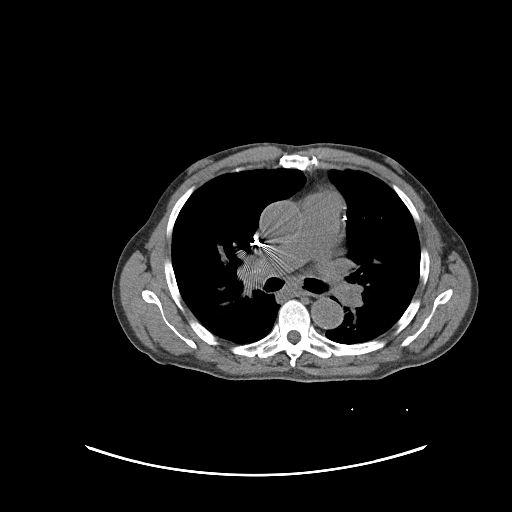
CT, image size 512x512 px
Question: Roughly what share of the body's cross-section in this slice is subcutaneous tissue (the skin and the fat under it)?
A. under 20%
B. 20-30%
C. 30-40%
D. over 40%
Answer: A. under 20%
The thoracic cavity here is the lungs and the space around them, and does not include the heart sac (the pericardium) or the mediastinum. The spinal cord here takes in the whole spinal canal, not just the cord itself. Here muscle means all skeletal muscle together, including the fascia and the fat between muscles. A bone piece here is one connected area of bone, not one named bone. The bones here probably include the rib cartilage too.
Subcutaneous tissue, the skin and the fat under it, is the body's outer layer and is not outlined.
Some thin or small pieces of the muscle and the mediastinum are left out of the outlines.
Outlines:
pericardium: 323 191; 334 191; 340 194; 346 203; 346 234; 348 243; 348 252; 347 254; 345 256; 337 257; 306 265; 303 267; 293 270; 292 272; 282 270; 270 259; 259 232; 259 220; 263 210; 269 204; 280 200
torso: 262 141; 295 145; 332 142; 371 148; 396 160; 424 185; 462 238; 478 281; 478 301; 472 320; 450 349; 425 364; 377 380; 300 382; 223 379; 160 364; 130 342; 116 317; 111 296; 123 248; 147 220; 166 187; 190 164; 220 150
mediastinum 1: 258 223; 258 232; 267 255; 282 271; 292 273; 306 266; 347 255; 347 261; 343 269; 343 278; 337 288; 344 313; 343 319; 337 327; 320 333; 312 324; 310 313; 303 303; 292 298; 280 305; 271 293; 264 290; 250 252; 250 240
mediastinum 2: 313 169; 326 169; 328 170; 327 172; 327 176; 329 180; 340 193; 334 190; 323 190; 322 191; 312 192; 311 193; 307 193; 306 194; 302 194; 296 196; 291 196; 297 192; 305 183; 306 178; 304 175; 303 171; 311 171
muscle: 262 145; 273 145; 286 152; 296 152; 300 150; 305 150; 309 148; 316 148; 317 147; 327 147; 328 148; 334 148; 352 152; 382 164; 403 179; 414 189; 423 201; 425 206; 431 213; 440 231; 444 242; 458 253; 467 266; 471 278; 471 296; 468 308; 457 328; 447 341; 436 350; 425 356; 386 363; 372 372; 366 374; 312 375; 311 374; 307 374; 300 370; 294 370; 293 369; 287 371; 271 371; 263 373; 231 374; 199 361; 183 357; 160 354; 146 346; 137 337; 127 319; 120 300; 119 280; 122 269; 125 263; 133 252; 151 234; 164 211; 171 196; 177 188; 188 177; 208 166; 211 163; 222 159; 231 154 with holes at 286 153; 314 155; 394 184; 418 213; 419 245; 429 255; 427 280; 416 286; 412 297; 420 305; 410 322; 397 334; 392 326; 376 338; 386 340; 381 348; 327 358; 304 350; 294 367; 283 350; 264 358; 239 355; 227 339; 218 337; 217 345; 201 339; 188 322; 195 317; 192 312; 183 300; 182 312; 171 296; 164 272; 165 259; 171 256; 166 228; 179 197; 236 167; 272 166 and at 449 288; 452 289; 452 294; 450 298; 445 303; 439 304; 436 307; 426 327; 406 346; 400 346; 400 344; 402 341; 407 336; 409 335; 412 335; 421 326; 426 317; 430 313; 432 309; 432 307; 433 306; 433 302; 435 298; 440 293 and at 144 289; 147 289; 152 291; 158 297; 161 303; 162 309; 166 319; 183 336; 191 339; 195 343; 196 345; 196 348; 193 348; 188 345; 165 323; 162 318; 160 310; 156 304; 154 303; 149 303; 143 299; 141 295; 141 292
spinal cord: 292 330; 294 330; 295 331; 297 331; 299 333; 299 334; 300 335; 300 338; 299 339; 299 340; 297 342; 295 342; 294 343; 293 343; 292 342; 291 342; 288 339; 288 338; 287 337; 287 335; 288 334; 288 333; 290 331; 291 331
bones 1: 292 299; 299 301; 307 309; 315 329; 334 342; 356 344; 384 339; 386 343; 367 353; 332 354; 327 358; 304 350; 295 360; 294 367; 290 365; 290 357; 283 350; 264 358; 235 354; 230 347; 256 342; 266 336; 277 320; 280 306, around a hole outlined by 292 330; 294 330; 295 331; 297 331; 299 333; 299 334; 300 335; 300 338; 299 339; 299 340; 297 342; 295 342; 294 343; 293 343; 292 342; 291 342; 288 339; 288 338; 287 337; 287 335; 288 334; 288 333; 290 331; 291 331
bones 2: 286 153; 287 154; 288 153; 298 153; 310 157; 312 155; 314 155; 321 161; 341 165; 343 166; 343 168; 342 169; 313 168; 311 170; 300 170; 296 168; 286 168; 281 166; 273 167; 272 166; 277 163; 279 158
bones 3: 449 288; 452 289; 452 294; 450 298; 445 303; 439 304; 436 307; 426 327; 406 346; 400 346; 400 344; 402 341; 407 336; 409 335; 412 335; 421 326; 426 317; 430 313; 432 309; 432 307; 433 306; 433 302; 435 298; 440 293
bones 4: 167 257; 170 257; 170 259; 171 260; 171 264; 172 265; 175 280; 177 284; 177 287; 178 288; 179 293; 182 299; 182 304; 184 307; 184 312; 182 312; 180 310; 172 298; 166 281; 165 273; 164 272; 164 262; 165 261; 165 259
bones 5: 144 289; 147 289; 152 291; 158 297; 161 303; 162 309; 166 319; 183 336; 191 339; 195 343; 196 345; 196 348; 193 348; 188 345; 165 323; 162 318; 160 310; 156 304; 154 303; 149 303; 143 299; 141 295; 141 292
bones 6: 193 185; 195 186; 196 188; 192 192; 192 193; 189 196; 189 197; 186 200; 180 209; 172 229; 171 239; 169 239; 166 235; 166 228; 167 227; 168 219; 169 218; 170 213; 172 210; 172 208; 179 197; 187 189
bones 7: 413 298; 418 298; 420 300; 420 305; 419 306; 417 311; 415 313; 414 316; 412 318; 412 319; 410 321; 410 322; 400 332; 399 332; 397 334; 394 334; 394 331; 395 330; 395 328; 393 326; 403 314; 403 313; 409 305; 411 300
bones 8: 189 318; 195 318; 206 329; 207 329; 211 333; 212 333; 217 338; 219 343; 217 345; 212 345; 211 344; 209 344; 208 343; 207 343; 205 341; 204 341; 202 339; 201 339; 196 334; 196 333; 190 326; 190 325; 188 322; 188 319
bones 9: 421 247; 425 247; 427 249; 427 251; 428 252; 428 254; 429 255; 429 271; 428 272; 428 275; 427 276; 427 280; 426 281; 426 283; 423 286; 421 284; 421 283; 419 281; 419 274; 420 273; 420 258; 421 257
bones 10: 392 184; 396 185; 400 189; 401 189; 410 199; 410 200; 412 202; 413 205; 415 207; 418 213; 418 215; 420 218; 420 223; 415 223; 413 219; 413 217; 410 213; 408 208; 405 205; 403 201; 399 197; 397 193; 391 187; 391 185
bones 11: 247 165; 262 165; 263 166; 264 166; 263 166; 262 167; 258 167; 257 168; 252 168; 251 169; 245 169; 244 170; 242 170; 241 171; 236 171; 235 172; 231 172; 230 171; 232 169; 233 169; 236 167; 238 167; 239 166; 246 166
thoracic cavity 1: 268 166; 302 171; 305 180; 303 185; 287 198; 273 201; 265 206; 249 240; 249 252; 261 286; 279 305; 276 320; 271 330; 260 339; 235 344; 216 336; 206 328; 184 302; 171 259; 172 234; 181 209; 193 192; 203 184; 224 173
thoracic cavity 2: 331 169; 361 170; 388 185; 411 215; 420 246; 418 283; 408 305; 395 323; 385 332; 376 338; 356 343; 337 342; 324 334; 327 330; 337 328; 344 319; 344 304; 340 299; 338 288; 344 278; 344 269; 349 252; 347 202; 328 176